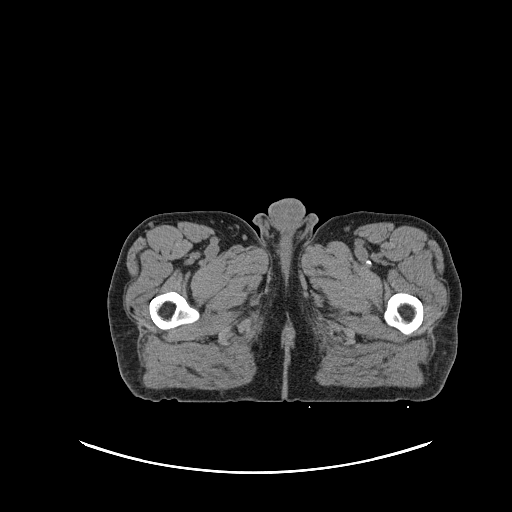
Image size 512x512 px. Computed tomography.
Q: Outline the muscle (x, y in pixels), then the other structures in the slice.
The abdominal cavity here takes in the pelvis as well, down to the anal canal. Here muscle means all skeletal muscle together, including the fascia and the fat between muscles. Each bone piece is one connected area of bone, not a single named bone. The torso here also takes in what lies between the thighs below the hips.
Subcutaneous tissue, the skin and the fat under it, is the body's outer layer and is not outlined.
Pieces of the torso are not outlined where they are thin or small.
A: {"muscle":[{"outer":[[159,218],[183,219],[203,224],[232,243],[256,245],[270,252],[272,263],[268,306],[260,336],[256,342],[257,371],[249,383],[222,390],[180,387],[154,389],[145,387],[141,383],[136,351],[138,329],[123,308],[124,288],[130,278],[126,257],[144,227]],"hole":[[168,291],[175,291],[183,296],[192,307],[195,308],[199,311],[199,313],[200,314],[199,318],[194,322],[181,324],[178,326],[176,326],[169,329],[161,329],[159,328],[153,322],[150,316],[150,314],[149,313],[149,302],[150,300],[156,295],[161,294]]},{"outer":[[394,221],[427,228],[440,242],[445,257],[449,303],[445,315],[433,329],[435,352],[430,364],[427,383],[420,387],[345,387],[321,385],[313,378],[314,371],[319,363],[320,346],[304,306],[300,287],[300,254],[308,245],[345,237],[360,225]],"hole":[[397,292],[404,292],[405,293],[408,293],[409,294],[416,296],[421,301],[423,306],[423,319],[421,324],[417,329],[413,331],[410,334],[408,334],[407,335],[401,332],[397,328],[393,326],[388,325],[383,318],[383,314],[385,311],[388,299],[393,294]]},{"outer":[[289,318],[291,318],[291,319],[295,323],[295,329],[296,330],[296,336],[295,337],[295,341],[294,342],[294,345],[293,346],[292,349],[291,349],[288,351],[287,350],[286,350],[281,345],[281,331],[282,330],[282,327]],"hole":[[288,326],[289,326],[289,327],[290,328],[291,328],[291,339],[289,341],[286,341],[286,338],[285,337],[285,330],[286,329],[286,328]]}],"torso":[[[285,197],[297,198],[307,213],[313,212],[318,218],[297,267],[300,303],[313,348],[310,403],[298,400],[268,403],[264,402],[263,394],[264,318],[272,287],[272,272],[270,255],[261,242],[259,228],[252,218],[260,212],[266,213],[271,203]]],"abdominal_cavity":[[[288,326],[289,326],[289,327],[290,328],[291,328],[291,339],[289,341],[286,341],[286,338],[285,337],[285,330],[286,329],[286,328]]],"bones":[[[168,291],[175,291],[183,296],[192,307],[195,308],[199,311],[199,313],[200,314],[199,318],[194,322],[181,324],[178,326],[176,326],[169,329],[161,329],[159,328],[153,322],[150,316],[150,314],[149,313],[149,302],[150,300],[156,295],[161,294]],[[397,292],[404,292],[405,293],[408,293],[409,294],[416,296],[421,301],[423,306],[423,319],[421,324],[417,329],[413,331],[410,334],[408,334],[407,335],[401,332],[397,328],[393,326],[388,325],[383,318],[383,314],[385,311],[388,299],[393,294]]],"right_leg":[[[195,210],[220,210],[239,216],[256,231],[260,242],[269,255],[271,287],[263,318],[263,402],[245,400],[225,403],[187,403],[175,399],[162,399],[153,402],[134,396],[121,378],[107,316],[107,292],[120,249],[128,234],[144,219],[164,212]]],"left_leg":[[[362,210],[411,214],[431,223],[446,240],[459,276],[462,297],[457,323],[457,353],[443,388],[435,397],[429,400],[419,402],[410,400],[393,402],[312,401],[311,373],[314,348],[301,303],[301,291],[298,281],[299,260],[315,230],[321,224],[333,216]]]}